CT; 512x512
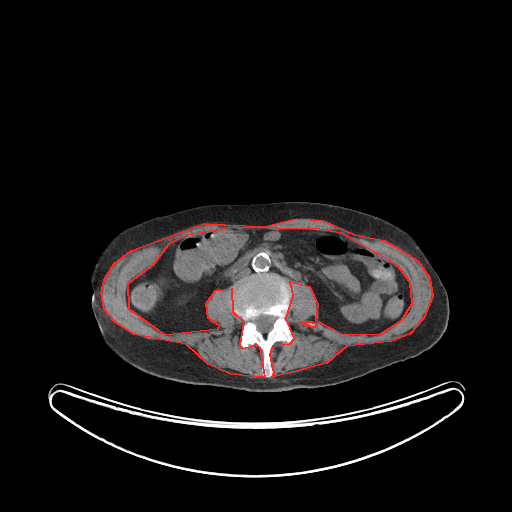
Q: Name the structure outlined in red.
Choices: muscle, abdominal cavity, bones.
A: red: muscle.
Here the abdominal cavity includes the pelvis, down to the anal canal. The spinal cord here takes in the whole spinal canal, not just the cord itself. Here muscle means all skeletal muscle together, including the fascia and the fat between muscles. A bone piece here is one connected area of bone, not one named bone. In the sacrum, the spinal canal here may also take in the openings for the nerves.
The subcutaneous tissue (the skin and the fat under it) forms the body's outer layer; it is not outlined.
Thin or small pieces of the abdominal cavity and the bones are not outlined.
Outlines (x, y in pixels):
muscle: 296 218; 323 220; 354 234; 384 240; 417 260; 429 277; 432 296; 423 318; 409 334; 391 341; 346 346; 326 363; 271 377; 274 373; 270 354; 273 345; 290 343; 294 338; 286 318; 293 295; 290 281; 309 286; 317 304; 315 319; 341 333; 379 334; 401 320; 412 303; 410 282; 397 265; 341 233; 319 229; 233 227; 187 235; 168 244; 153 264; 127 284; 128 308; 164 334; 218 328; 219 325; 208 318; 206 303; 215 290; 231 288; 232 311; 243 321; 239 345; 242 348; 255 344; 259 347; 264 377; 230 374; 208 364; 186 344; 134 334; 115 322; 104 309; 101 292; 105 277; 114 263; 131 250; 204 223; 264 226, around a hole outlined by 300 321; 311 321; 312 322; 314 322; 316 324; 316 326; 315 326; 314 327; 311 327; 310 326; 309 326; 308 325; 307 325; 306 324; 304 324; 303 323; 301 323; 300 322
spinal cord: 261 315; 269 315; 270 316; 274 316; 275 317; 275 320; 272 324; 272 327; 268 331; 267 331; 265 333; 263 333; 262 332; 259 331; 257 329; 257 328; 256 327; 256 325; 252 321; 252 320; 254 318; 255 318; 258 316; 260 316
bones: 271 272; 279 274; 290 285; 292 295; 285 318; 293 338; 290 342; 277 341; 272 345; 269 354; 273 373; 270 377; 265 377; 262 374; 263 353; 260 347; 255 343; 247 347; 240 345; 244 321; 235 315; 231 298; 232 287; 240 279; inner edge: 261 315; 269 315; 270 316; 274 316; 275 317; 275 320; 272 324; 272 327; 268 331; 267 331; 265 333; 263 333; 262 332; 259 331; 257 329; 257 328; 256 327; 256 325; 252 321; 252 320; 254 318; 255 318; 258 316; 260 316
abdominal cavity: 233 228; 341 234; 403 272; 411 291; 409 309; 379 333; 341 332; 316 319; 319 316; 317 299; 309 285; 288 281; 271 271; 247 275; 231 287; 213 291; 205 309; 208 320; 218 327; 164 333; 129 308; 128 284; 153 265; 176 240
torso: 283 201; 320 202; 343 206; 375 215; 408 232; 426 254; 448 294; 448 325; 441 338; 431 348; 415 357; 334 385; 276 392; 255 392; 188 384; 152 376; 124 362; 105 344; 91 307; 90 278; 100 252; 120 231; 147 218; 199 205